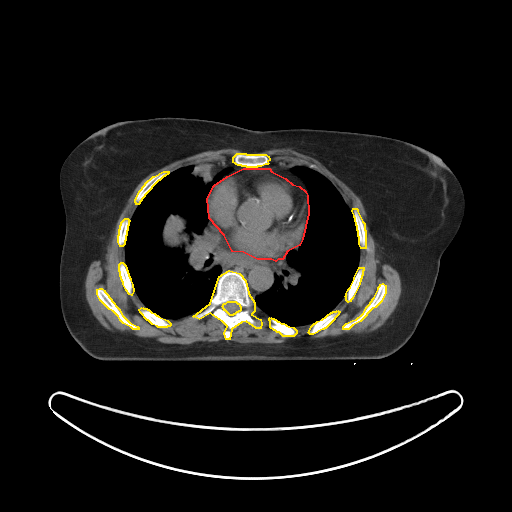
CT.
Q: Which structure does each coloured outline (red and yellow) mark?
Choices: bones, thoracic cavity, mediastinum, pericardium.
A: red: pericardium; yellow: bones.
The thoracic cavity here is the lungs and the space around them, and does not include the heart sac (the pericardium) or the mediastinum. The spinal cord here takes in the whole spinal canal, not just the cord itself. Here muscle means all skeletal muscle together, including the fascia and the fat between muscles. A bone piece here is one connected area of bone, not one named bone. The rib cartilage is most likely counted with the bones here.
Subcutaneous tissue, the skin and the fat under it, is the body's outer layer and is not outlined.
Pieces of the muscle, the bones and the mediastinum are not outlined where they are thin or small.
Outlined structures:
pericardium: 243 168; 269 168; 271 171; 285 178; 292 184; 299 186; 305 191; 307 195; 308 213; 302 239; 299 245; 287 251; 282 259; 278 259; 275 261; 271 259; 257 259; 243 252; 232 251; 224 235; 209 218; 207 198; 214 185; 227 176
bones 1: 229 270; 239 273; 245 280; 248 293; 254 302; 254 311; 251 314; 260 319; 261 323; 260 328; 256 328; 246 321; 241 322; 231 329; 229 339; 226 339; 224 333; 227 326; 222 321; 210 313; 199 319; 193 316; 210 303; 219 276 with a hole at 228 301; 235 301; 237 303; 238 303; 240 306; 240 310; 239 311; 238 311; 237 312; 236 312; 234 314; 233 314; 232 315; 230 315; 225 310; 224 310; 224 309; 222 306; 224 303; 225 303
bones 2: 237 153; 245 153; 246 154; 265 154; 268 156; 269 158; 269 160; 267 161; 268 163; 267 164; 265 164; 261 166; 257 166; 256 167; 247 167; 246 166; 242 166; 241 165; 238 165; 233 162; 233 157
bones 3: 382 283; 385 285; 385 293; 380 302; 375 307; 372 308; 360 321; 352 325; 348 329; 343 329; 343 326; 346 323; 352 320; 356 319; 363 313; 367 306; 370 303; 370 302; 374 297; 378 289; 378 287; 380 285; 380 284
bones 4: 99 288; 101 288; 104 290; 104 291; 108 295; 108 296; 111 299; 111 300; 118 308; 122 315; 129 322; 137 326; 138 327; 138 329; 133 329; 131 327; 123 323; 120 320; 118 316; 113 311; 109 309; 100 300; 97 294; 97 289
bones 5: 142 307; 143 308; 146 308; 147 309; 148 309; 151 312; 154 313; 156 315; 157 315; 158 316; 167 320; 170 323; 170 325; 169 326; 167 326; 166 327; 158 327; 157 326; 152 324; 148 320; 147 320; 140 312; 139 309
bones 6: 163 171; 168 171; 168 173; 164 176; 163 176; 159 180; 158 180; 144 195; 144 196; 141 199; 141 200; 139 202; 139 203; 138 204; 136 204; 136 203; 135 202; 135 199; 136 198; 139 191; 145 184; 145 183; 153 176; 154 176
bones 7: 337 310; 338 311; 339 311; 338 314; 334 318; 334 319; 325 328; 324 328; 323 329; 322 329; 313 334; 310 334; 308 332; 309 331; 311 326; 314 323; 315 323; 317 321; 322 319; 331 312; 332 312; 333 311; 336 311
bones 8: 270 317; 271 318; 273 318; 274 319; 275 319; 277 321; 278 321; 281 323; 283 323; 288 326; 293 327; 296 330; 296 333; 293 336; 283 336; 279 332; 277 332; 275 330; 274 330; 270 327; 270 321; 269 320; 269 318
bones 9: 353 208; 356 208; 357 209; 357 211; 362 221; 364 223; 364 229; 365 230; 365 248; 361 248; 359 244; 359 237; 358 236; 358 231; 357 230; 357 226; 356 225; 355 218; 354 217; 354 215; 352 211
bones 10: 359 267; 363 267; 363 270; 362 271; 362 275; 361 276; 361 278; 360 279; 359 284; 352 298; 350 300; 350 301; 348 302; 346 300; 346 297; 345 296; 346 295; 346 293; 348 289; 350 287; 354 279; 354 277
bones 11: 121 262; 122 262; 125 265; 126 267; 126 269; 127 270; 127 272; 128 273; 128 275; 130 278; 130 280; 132 284; 133 291; 131 295; 129 294; 126 290; 123 284; 123 282; 121 279; 121 277; 120 276; 120 272; 119 271; 119 264
bones 12: 125 218; 127 218; 129 220; 129 221; 128 222; 128 225; 127 226; 127 230; 126 231; 126 235; 125 236; 125 240; 124 241; 124 244; 122 246; 120 246; 118 242; 118 235; 119 234; 119 229; 120 228; 120 225; 121 224; 121 222
thoracic cavity 1: 227 162; 232 164; 230 170; 213 185; 206 198; 208 221; 204 231; 209 238; 211 250; 216 258; 215 263; 221 269; 214 294; 202 310; 179 318; 166 319; 147 308; 134 291; 125 264; 124 245; 129 222; 145 195; 169 173; 198 163
thoracic cavity 2: 268 161; 286 161; 319 172; 336 188; 354 218; 359 245; 357 270; 345 295; 332 311; 312 324; 294 327; 271 317; 255 305; 254 298; 274 285; 276 274; 287 263; 287 253; 299 248; 310 213; 310 195; 304 180; 291 169; 275 167
spinal cord: 228 301; 235 301; 237 303; 238 303; 240 306; 240 310; 239 311; 238 311; 237 312; 236 312; 234 314; 233 314; 232 315; 230 315; 225 310; 224 310; 224 309; 222 306; 224 303; 225 303
mediastinum 1: 209 219; 223 235; 232 252; 243 253; 257 260; 271 260; 273 262; 282 260; 285 256; 286 263; 275 274; 273 285; 269 289; 253 298; 249 293; 246 280; 239 272; 232 269; 222 272; 221 267; 216 263; 217 258; 205 231
mediastinum 2: 268 164; 275 168; 281 168; 282 169; 291 170; 294 174; 297 175; 303 180; 306 185; 309 195; 309 213; 308 195; 306 191; 299 185; 292 183; 285 177; 271 170; 269 167; 268 168; 267 167; 257 167; 261 167
mediastinum 3: 232 163; 233 163; 238 166; 241 166; 242 167; 246 167; 243 167; 242 168; 241 168; 240 169; 239 169; 238 170; 231 173; 229 175; 227 175; 223 178; 223 177; 224 176; 225 176; 231 170; 231 168; 233 166; 233 164
torso: 155 117; 206 119; 252 130; 312 128; 369 133; 404 140; 437 154; 462 187; 464 214; 440 258; 431 297; 408 341; 383 358; 355 360; 110 361; 84 351; 68 331; 60 307; 59 267; 66 226; 60 169; 69 153; 93 132; 118 121
muscle: 223 148; 243 152; 237 152; 232 162; 198 162; 153 175; 138 191; 134 199; 137 205; 130 219; 125 217; 120 222; 117 242; 124 248; 125 259; 118 264; 119 276; 127 293; 131 296; 134 292; 145 306; 138 309; 142 316; 152 325; 166 328; 171 325; 169 319; 193 315; 193 319; 199 320; 210 314; 226 326; 223 336; 229 340; 232 329; 241 323; 261 328; 261 319; 252 314; 255 306; 269 316; 271 329; 283 337; 293 337; 296 327; 311 325; 307 332; 310 335; 325 329; 339 314; 339 310; 333 310; 340 301; 344 297; 348 303; 351 301; 364 270; 359 266; 359 260; 360 248; 366 248; 365 223; 358 209; 350 208; 332 182; 316 170; 314 163; 272 161; 267 154; 256 153; 290 148; 318 160; 360 198; 376 244; 374 268; 378 271; 388 263; 401 280; 398 304; 383 325; 369 332; 313 339; 289 338; 280 343; 220 340; 179 344; 109 330; 97 320; 85 295; 88 267; 94 260; 105 261; 115 223; 136 186; 151 172; 176 160 with holes at 382 283; 385 285; 385 293; 380 302; 375 307; 372 308; 360 321; 352 325; 348 329; 343 329; 343 326; 346 323; 352 320; 356 319; 363 313; 367 306; 370 303; 370 302; 374 297; 378 289; 378 287; 380 285; 380 284 and at 99 288; 101 288; 104 290; 104 291; 108 295; 108 296; 111 299; 111 300; 118 308; 122 315; 129 322; 137 326; 138 327; 138 329; 133 329; 131 327; 123 323; 120 320; 118 316; 113 311; 109 309; 100 300; 97 294; 97 289